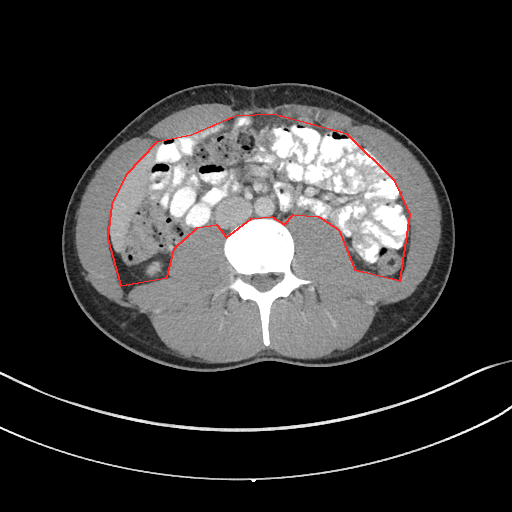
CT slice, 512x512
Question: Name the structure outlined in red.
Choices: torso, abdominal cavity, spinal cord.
Answer: red: abdominal cavity.
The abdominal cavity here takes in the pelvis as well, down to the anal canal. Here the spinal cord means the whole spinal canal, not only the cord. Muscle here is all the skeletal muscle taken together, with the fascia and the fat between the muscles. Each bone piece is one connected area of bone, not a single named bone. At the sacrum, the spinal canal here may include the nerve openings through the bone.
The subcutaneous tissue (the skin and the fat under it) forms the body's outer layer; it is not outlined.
The abdominal cavity is outlined by (120, 285) (167, 277) (174, 248) (197, 227) (216, 224) (226, 237) (251, 218) (271, 216) (284, 224) (293, 214) (318, 216) (338, 229) (354, 269) (400, 280) (410, 214) (395, 181) (347, 134) (273, 114) (235, 116) (191, 135) (156, 142) (125, 175) (111, 204) (107, 238). The muscle is outlined by (221, 363) (266, 350) (300, 359) (346, 351) (364, 337) (382, 306) (404, 300) (417, 289) (440, 243) (441, 208) (425, 169) (393, 136) (329, 107) (289, 103) (236, 109) (200, 103) (172, 112) (116, 147) (95, 171) (74, 228) (88, 281) (102, 296) (144, 313) (173, 351), around a hole outlined by (266, 346) (273, 303) (311, 285) (290, 268) (288, 217) (326, 219) (345, 237) (354, 269) (400, 280) (410, 214) (395, 181) (347, 134) (256, 113) (148, 148) (114, 195) (107, 240) (119, 284) (141, 285) (167, 277) (184, 235) (216, 224) (237, 274) (220, 291) (257, 305). The torso is outlined by (192, 372) (219, 372) (265, 361) (339, 366) (385, 349) (424, 319) (447, 283) (455, 226) (438, 172) (408, 137) (363, 105) (323, 87) (291, 82) (258, 86) (207, 83) (155, 102) (101, 149) (79, 178) (64, 215) (61, 253) (71, 293) (87, 318) (118, 345) (152, 362). The spinal cord is outlined by (261, 291) (264, 291) (265, 290) (267, 290) (269, 289) (273, 285) (274, 285) (275, 284) (275, 282) (278, 279) (279, 279) (280, 277) (279, 274) (277, 273) (274, 273) (271, 275) (247, 275) (245, 276) (244, 278) (245, 281) (247, 282) (250, 282) (256, 288) (257, 288). The bones are outlined by (266, 346) (270, 343) (268, 327) (273, 303) (277, 299) (286, 299) (304, 285) (311, 285) (311, 280) (297, 277) (290, 268) (294, 241) (287, 228) (276, 218) (257, 217) (228, 234) (223, 252) (237, 274) (220, 291) (230, 290) (243, 301) (252, 301) (257, 305) (262, 340) with a hole at (261, 291) (264, 291) (265, 290) (267, 290) (269, 289) (273, 285) (274, 285) (275, 284) (275, 282) (278, 279) (279, 279) (280, 277) (279, 274) (277, 273) (274, 273) (271, 275) (247, 275) (245, 276) (244, 278) (245, 281) (247, 282) (250, 282) (256, 288) (257, 288).